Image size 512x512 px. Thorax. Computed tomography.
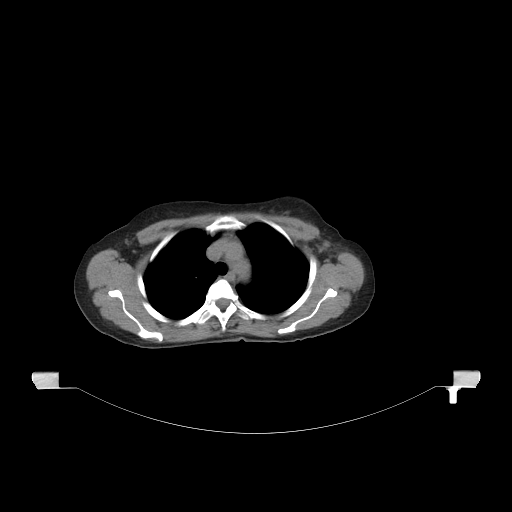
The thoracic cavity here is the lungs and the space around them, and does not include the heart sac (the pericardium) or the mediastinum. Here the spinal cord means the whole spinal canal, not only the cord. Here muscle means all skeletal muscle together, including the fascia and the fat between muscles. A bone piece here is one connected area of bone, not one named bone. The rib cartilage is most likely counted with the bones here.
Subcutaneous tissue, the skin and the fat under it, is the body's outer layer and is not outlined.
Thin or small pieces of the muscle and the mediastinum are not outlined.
{"spinal_cord":[[[221,298],[224,298],[225,299],[227,299],[229,301],[229,303],[228,304],[228,305],[223,310],[222,310],[216,304],[216,301],[217,300],[218,300],[219,299],[220,299]]],"torso":[[[283,194],[295,194],[308,200],[329,224],[368,253],[374,269],[375,292],[365,313],[350,324],[333,332],[293,342],[240,340],[150,349],[125,344],[101,333],[79,309],[74,298],[73,279],[85,250],[142,209],[181,199],[231,203],[265,200]]],"thoracic_cavity":[[[256,222],[264,223],[274,229],[292,246],[297,248],[308,261],[308,276],[304,290],[292,304],[279,313],[264,314],[253,310],[246,306],[240,300],[236,292],[236,287],[238,285],[245,287],[248,286],[253,280],[252,262],[237,231],[242,230],[248,225]],[[189,229],[203,229],[212,238],[212,240],[206,247],[204,253],[205,257],[212,263],[215,280],[209,285],[206,291],[204,300],[202,304],[197,309],[183,318],[174,319],[170,318],[158,311],[149,302],[143,276],[149,263],[154,260],[159,252],[175,236]]],"bones":[{"outer":[[221,278],[228,281],[239,300],[246,307],[266,315],[267,318],[263,320],[253,318],[243,319],[235,312],[228,318],[224,331],[222,331],[221,324],[214,315],[202,324],[192,322],[178,326],[175,323],[176,321],[187,317],[197,310],[203,304],[210,285]],"hole":[[221,298],[224,298],[225,299],[227,299],[229,301],[229,303],[228,304],[228,305],[223,310],[222,310],[216,304],[216,301],[217,300],[218,300],[219,299],[220,299]]},[[224,214],[231,214],[233,215],[238,220],[245,223],[247,225],[244,228],[242,229],[240,229],[239,230],[235,230],[234,229],[222,229],[221,230],[218,230],[216,231],[213,234],[209,234],[204,230],[204,227],[205,226],[210,224],[218,216],[220,216]],[[311,256],[315,257],[316,259],[316,273],[315,274],[315,278],[311,286],[311,291],[308,297],[295,311],[285,317],[280,317],[279,315],[280,313],[292,305],[300,297],[300,296],[305,290],[307,286],[307,282],[308,281],[308,277],[309,276],[309,258]],[[112,289],[119,289],[121,291],[124,299],[126,309],[146,329],[150,331],[158,331],[160,332],[163,336],[162,341],[160,342],[154,337],[142,338],[137,335],[139,327],[124,312],[122,308],[122,303],[120,299],[117,297],[112,297],[108,294],[108,291]],[[330,287],[336,290],[337,294],[333,297],[327,297],[320,304],[317,311],[310,318],[299,322],[296,325],[296,329],[292,332],[282,334],[277,332],[277,330],[279,328],[285,327],[293,321],[308,315],[314,309],[317,304],[317,302],[324,295],[327,289]],[[175,230],[177,231],[177,233],[176,235],[175,235],[158,252],[158,253],[155,256],[153,260],[150,262],[149,261],[149,258],[151,255],[151,253],[153,249],[167,234]],[[143,301],[148,301],[148,302],[158,312],[159,312],[164,316],[169,318],[170,319],[169,322],[163,322],[162,321],[160,321],[159,320],[156,319],[154,317],[153,317],[150,314],[149,314],[148,313],[148,312],[145,309],[145,308],[142,304],[142,302]],[[257,216],[263,217],[266,219],[268,219],[278,224],[281,227],[282,227],[282,228],[288,234],[288,235],[290,237],[293,243],[293,245],[292,245],[283,235],[282,235],[274,228],[273,228],[268,224],[264,222],[262,222],[260,220],[259,220],[257,218]],[[138,273],[140,273],[142,275],[142,278],[143,279],[143,283],[144,284],[144,288],[145,289],[145,292],[146,293],[146,298],[145,298],[142,295],[142,294],[140,292],[140,291],[139,290],[139,288],[138,287],[138,285],[137,284],[137,275],[138,274]]],"mediastinum":[[[222,230],[236,231],[236,233],[240,238],[251,262],[252,268],[251,282],[245,286],[238,284],[235,287],[235,290],[227,279],[223,277],[216,279],[213,268],[213,263],[206,257],[205,253],[207,247],[213,240],[213,238],[210,235],[213,235],[216,232]]],"muscle":[[[244,211],[286,215],[315,225],[320,238],[310,244],[321,263],[326,259],[334,262],[334,256],[341,251],[348,251],[361,261],[364,281],[353,294],[350,305],[339,316],[318,326],[295,331],[297,325],[310,319],[327,298],[338,294],[330,286],[308,314],[276,330],[280,335],[287,334],[274,337],[225,333],[189,341],[161,342],[164,336],[160,331],[146,328],[127,309],[119,288],[109,289],[107,294],[119,299],[123,312],[138,327],[136,335],[100,315],[92,302],[86,280],[87,265],[96,253],[115,249],[133,266],[146,250],[136,238],[139,230],[160,220],[210,212],[223,214],[203,228],[189,228],[179,233],[175,229],[167,233],[152,249],[143,275],[137,273],[136,284],[141,295],[147,298],[141,302],[147,313],[163,323],[176,320],[174,323],[178,327],[192,323],[202,325],[214,316],[224,332],[229,318],[235,313],[243,320],[263,321],[267,315],[279,314],[280,318],[285,318],[295,312],[312,291],[317,273],[316,257],[311,255],[308,260],[283,227],[268,218],[257,215],[260,221],[247,224],[226,213]]]}